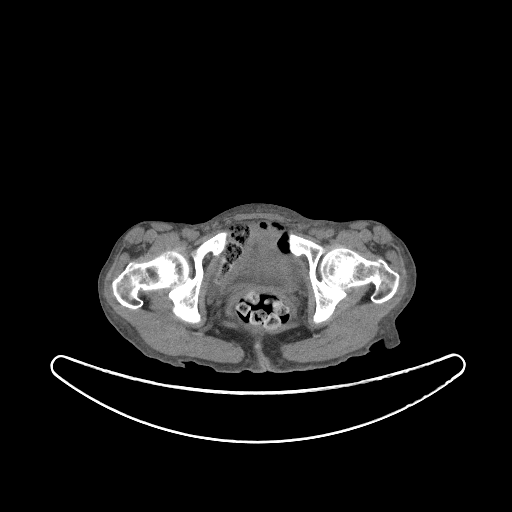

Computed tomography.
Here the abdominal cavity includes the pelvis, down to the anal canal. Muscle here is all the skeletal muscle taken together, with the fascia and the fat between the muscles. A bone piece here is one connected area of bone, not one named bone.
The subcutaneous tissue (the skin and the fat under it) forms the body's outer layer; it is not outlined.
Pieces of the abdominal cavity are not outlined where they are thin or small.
{"abdominal_cavity":[[[259,218],[277,220],[294,229],[295,233],[290,232],[287,241],[290,252],[297,257],[297,264],[307,290],[306,316],[301,321],[289,326],[265,332],[226,323],[214,315],[207,305],[213,275],[219,264],[220,255],[226,248],[227,238],[231,233],[228,227]]],"bones":[[[224,230],[230,233],[223,251],[219,255],[209,252],[202,260],[199,322],[186,322],[174,314],[167,288],[141,291],[143,304],[136,309],[122,305],[114,296],[112,281],[129,262],[144,262],[165,250],[182,254],[190,264],[192,276],[195,271],[191,251]],[[290,233],[320,244],[327,250],[343,246],[369,260],[383,259],[399,275],[396,292],[388,300],[375,303],[370,299],[374,287],[371,283],[351,287],[327,320],[319,323],[313,322],[316,302],[309,278],[308,260],[303,254],[296,256],[291,252],[288,241]]],"muscle":[{"outer":[[258,210],[273,211],[285,214],[289,217],[310,224],[311,226],[317,227],[324,226],[346,228],[349,224],[355,222],[367,222],[372,225],[380,225],[387,230],[393,238],[394,242],[401,248],[402,254],[405,259],[405,267],[408,275],[407,290],[399,303],[381,320],[379,323],[379,329],[377,334],[360,348],[343,355],[322,361],[294,362],[284,359],[281,355],[281,346],[285,343],[297,342],[308,335],[309,329],[305,328],[301,323],[295,327],[290,327],[285,331],[266,333],[263,335],[261,338],[261,351],[268,358],[269,363],[267,364],[264,361],[260,363],[255,351],[255,337],[253,335],[246,331],[219,325],[216,320],[213,327],[219,331],[219,336],[227,341],[233,341],[238,343],[245,352],[243,360],[237,363],[222,363],[193,356],[167,355],[149,347],[139,336],[136,330],[115,313],[108,305],[103,294],[104,278],[122,244],[124,237],[133,228],[138,226],[148,228],[153,223],[163,223],[171,225],[179,230],[184,227],[201,230],[209,228],[215,222],[219,222],[222,218],[226,216],[236,213],[249,213]],"hole":[[259,218],[383,259],[399,275],[388,300],[373,302],[371,283],[354,286],[313,322],[302,254],[306,316],[246,329],[208,308],[220,260],[210,252],[197,323],[174,314],[167,288],[141,291],[136,309],[114,296],[129,262],[175,250],[192,276],[193,249]]}],"torso":[[[250,202],[279,204],[315,219],[374,219],[400,237],[417,271],[413,296],[395,321],[400,343],[387,349],[380,340],[364,355],[312,370],[219,373],[193,362],[175,367],[147,357],[124,339],[105,317],[97,293],[99,271],[117,238],[142,220],[196,223]]]}